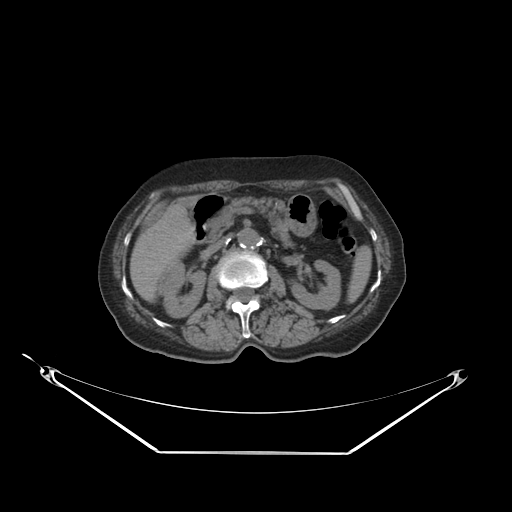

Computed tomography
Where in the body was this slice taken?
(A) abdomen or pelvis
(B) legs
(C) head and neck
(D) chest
Answer: (A) abdomen or pelvis
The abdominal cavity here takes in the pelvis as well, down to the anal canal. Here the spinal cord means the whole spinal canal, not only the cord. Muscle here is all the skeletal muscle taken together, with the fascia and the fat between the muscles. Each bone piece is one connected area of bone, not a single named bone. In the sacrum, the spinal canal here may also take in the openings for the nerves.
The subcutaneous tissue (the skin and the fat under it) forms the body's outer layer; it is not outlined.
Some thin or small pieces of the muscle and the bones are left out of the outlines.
Outlines (x, y in pixels):
spinal cord: 241,287 247,287 248,288 251,288 255,291 255,295 254,297 250,299 247,302 245,303 237,299 235,299 232,293 232,291 233,290 237,288 240,288
abdominal cavity: 240,186 278,193 318,187 343,206 367,230 374,246 376,276 363,299 346,313 317,318 286,297 284,278 274,265 243,249 222,256 210,270 206,301 183,323 164,321 144,307 126,277 134,233 157,222 177,198
muscle: 326,177 337,177 355,190 375,216 389,243 390,270 383,280 375,307 361,320 320,340 312,340 294,347 270,347 249,338 252,335 250,316 261,307 258,290 269,279 268,264 274,266 283,278 286,298 311,312 315,318 326,319 329,324 343,319 368,293 372,293 380,285 382,270 378,268 374,245 378,235 372,227 368,231 358,221 363,219 362,211 349,189 339,181 336,185 353,216 318,186 298,192 278,192 257,185 240,185 230,191 197,192 177,197 167,205 158,220 145,230 134,232 132,235 132,232 128,231 124,235 123,245 128,247 125,274 121,277 120,287 130,300 135,298 151,312 154,316 151,319 162,328 183,324 207,301 208,277 217,265 218,283 229,294 224,307 238,315 241,336 245,339 233,350 208,351 183,344 143,326 130,316 113,273 112,252 118,232 127,216 152,191 173,184 183,185 218,179 244,182
bones 1: 243,250 255,252 263,258 266,262 268,278 267,281 257,290 260,307 254,310 249,316 248,323 251,335 248,338 242,336 242,326 239,315 225,307 230,294 227,289 220,285 217,276 218,263 222,257 231,252, around a hole outlined by 241,287 247,287 248,288 251,288 255,291 255,295 254,297 250,299 247,302 245,303 237,299 235,299 232,293 232,291 233,290 237,288 240,288
bones 2: 337,182 339,182 340,183 343,184 348,189 348,190 351,194 353,199 356,202 357,205 359,207 359,208 361,211 361,213 362,214 362,219 361,220 358,220 354,216 344,195 342,193 340,188 337,185
bones 3: 124,274 125,275 125,277 126,278 126,283 127,284 127,286 129,288 129,289 130,290 130,291 131,292 131,293 133,295 133,299 130,299 124,293 124,292 123,291 123,290 121,287 121,280 122,279 122,277
bones 4: 378,269 380,269 381,270 381,279 380,280 380,283 379,284 379,285 372,292 369,292 369,290 370,289 370,288 371,287 371,286 374,283 374,282 376,280 376,277 377,276 377,271 378,270
bones 5: 152,317 155,317 156,318 157,318 158,319 159,319 160,320 161,320 164,322 166,322 167,323 169,323 170,324 171,324 172,325 172,326 171,327 167,327 166,326 165,327 162,327 161,326 158,325 152,319
torso: 295,154 330,156 358,171 375,191 402,235 406,281 375,333 349,354 316,356 298,362 274,361 257,348 248,346 232,362 198,363 150,352 127,340 103,302 97,280 97,264 111,220 136,188 160,169 186,159